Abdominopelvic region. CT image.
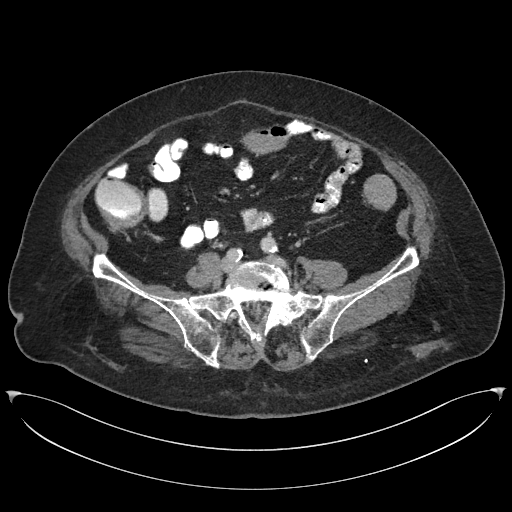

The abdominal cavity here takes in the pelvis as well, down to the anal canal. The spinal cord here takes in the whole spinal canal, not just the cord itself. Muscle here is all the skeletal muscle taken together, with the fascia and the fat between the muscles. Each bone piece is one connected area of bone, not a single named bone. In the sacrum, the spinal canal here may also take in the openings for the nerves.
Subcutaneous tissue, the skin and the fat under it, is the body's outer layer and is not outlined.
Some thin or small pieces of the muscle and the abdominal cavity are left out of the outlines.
The muscle appears in 3 outlined pieces: piece 1: 238,99 271,106 351,133 408,163 425,183 433,198 437,227 433,250 422,278 408,308 386,322 379,340 368,349 322,360 291,371 275,370 262,361 250,370 220,368 220,336 206,315 209,314 220,322 234,321 252,343 259,344 273,328 289,326 295,319 316,312 307,320 299,334 305,360 311,363 334,341 335,327 349,307 381,285 413,270 420,263 416,246 407,244 404,248 404,242 396,229 397,218 408,205 407,195 386,170 378,155 352,139 303,119 274,114 250,104 237,103 212,115 194,117 169,125 109,168 91,187 83,201 83,212 89,225 107,238 108,253 120,268 144,284 162,284 175,291 190,291 193,294 174,298 150,293 129,279 103,251 95,252 91,258 92,275 97,279 115,283 166,311 181,331 183,346 206,366 211,367 173,368 133,356 123,349 93,287 67,255 60,233 62,213 70,194 87,175 156,127; piece 2: 400,253 396,261 380,277 367,286 352,292 344,294 328,292 323,295 320,293 310,293 302,289 296,290 294,288 294,264 299,256 312,260 334,260 341,263 347,271 345,282 348,283 355,281 362,275 381,269; piece 3: 212,250 215,251 216,254 221,261 221,271 222,272 223,287 218,290 216,290 212,292 198,293 194,288 191,287 187,283 185,279 185,275 188,270 192,266 195,265 197,263 196,258 198,255 203,252 205,253. The torso is outlined by 228,70 292,73 350,89 403,117 445,155 470,190 504,271 501,323 484,353 362,402 262,419 151,405 61,366 33,361 19,350 13,335 16,319 7,301 8,278 32,198 54,159 82,129 119,104 166,84. The abdominal cavity is outlined by 237,104 303,120 377,155 407,199 395,221 401,252 348,282 341,262 299,255 295,291 280,265 261,259 239,263 224,286 213,249 198,254 184,275 195,294 144,283 120,267 108,238 84,212 92,187 162,129. The bones are outlined by 407,245 418,265 349,306 311,362 300,334 316,311 259,343 234,320 206,314 219,336 217,369 184,346 166,310 91,269 103,252 140,289 177,299 221,290 239,264 261,260 280,266 294,292 344,295 380,278; inner edge: 244,301 249,303 252,301 267,301 269,302 270,304 270,306 269,307 270,309 268,312 268,314 264,322 264,327 265,328 264,331 262,332 259,332 251,328 250,324 244,313 244,311 241,307 241,304 242,302. The spinal cord is outlined by 244,301 249,303 252,301 267,301 269,302 270,304 270,306 269,307 270,309 268,312 268,314 264,322 264,327 265,328 264,331 262,332 259,332 251,328 250,324 244,313 244,311 241,307 241,304 242,302.